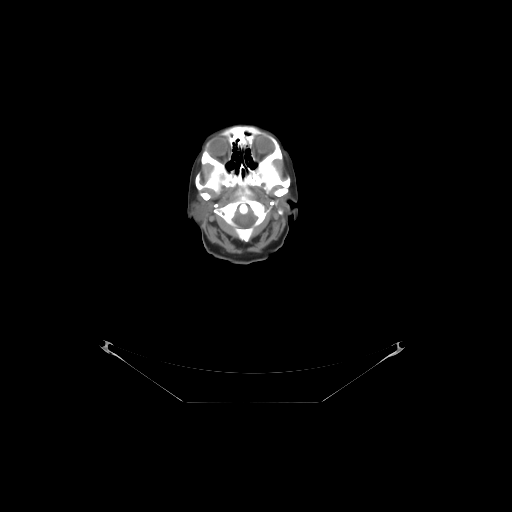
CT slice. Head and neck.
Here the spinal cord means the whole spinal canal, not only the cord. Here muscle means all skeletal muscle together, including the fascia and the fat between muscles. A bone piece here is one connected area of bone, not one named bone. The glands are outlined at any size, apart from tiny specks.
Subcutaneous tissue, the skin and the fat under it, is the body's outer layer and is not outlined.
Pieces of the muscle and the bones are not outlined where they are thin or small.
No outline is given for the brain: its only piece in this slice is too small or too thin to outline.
{"head":[{"outer":[[237,122],[258,124],[271,130],[280,138],[290,153],[298,190],[298,201],[295,204],[298,215],[295,220],[291,216],[288,218],[289,230],[283,245],[265,260],[249,264],[234,264],[208,254],[202,243],[199,228],[186,215],[190,170],[201,142],[214,130]],"holes":[[[234,148],[235,148],[236,150],[239,153],[239,156],[241,158],[239,162],[238,162],[236,160],[234,162],[235,164],[235,166],[233,168],[231,169],[228,169],[227,168],[227,164],[233,159],[233,157],[232,156],[233,155],[233,149]],[[246,150],[249,150],[249,151],[250,152],[249,153],[250,154],[250,159],[254,163],[255,163],[255,167],[254,167],[253,168],[252,168],[249,165],[249,163],[247,161],[247,160],[245,158],[245,154],[246,153],[245,152],[246,151]]]}],"parotid_glands":[[[195,199],[196,199],[198,201],[200,201],[202,204],[204,204],[207,201],[212,201],[213,202],[213,208],[212,209],[212,211],[210,212],[207,215],[206,218],[202,222],[197,222],[196,221],[190,209],[190,206],[191,205],[191,203]],[[289,191],[290,191],[291,192],[291,196],[290,197],[289,197],[286,200],[286,202],[287,203],[287,208],[286,209],[285,209],[283,207],[280,207],[278,205],[278,202],[279,201],[279,199],[283,195],[284,195],[285,194],[286,194]]],"bones":[{"outer":[[238,125],[253,126],[272,136],[282,154],[277,166],[284,177],[290,177],[287,192],[279,197],[272,191],[266,193],[261,187],[250,187],[253,199],[266,206],[271,200],[276,203],[254,228],[248,241],[241,240],[233,227],[214,212],[215,203],[223,206],[238,197],[237,188],[222,186],[219,193],[210,189],[210,198],[205,200],[194,181],[203,169],[201,155],[209,141],[208,152],[219,161],[228,162],[231,148],[221,133]],"holes":[[[258,135],[263,135],[265,137],[266,137],[272,144],[272,146],[273,148],[270,152],[266,154],[262,158],[257,160],[256,155],[254,153],[252,149],[253,148],[253,142],[254,141],[254,139],[256,137],[256,136]],[[250,211],[251,212],[251,213],[255,217],[255,219],[254,220],[253,223],[250,226],[249,226],[248,227],[240,227],[239,226],[238,226],[237,225],[237,224],[234,221],[234,217],[236,215],[237,212],[241,215],[245,215],[246,214],[247,214]],[[234,148],[235,148],[236,150],[239,153],[239,156],[241,158],[239,162],[238,162],[236,160],[234,162],[235,164],[235,166],[233,168],[231,169],[228,169],[227,168],[227,164],[233,159],[233,157],[232,156],[233,155],[233,149]],[[246,150],[249,150],[249,151],[250,152],[249,153],[250,154],[250,159],[254,163],[255,163],[255,167],[254,167],[253,168],[252,168],[249,165],[249,163],[247,161],[247,160],[245,158],[245,154],[246,153],[245,152],[246,151]]]}],"spinal_cord":[[[237,212],[241,215],[245,215],[249,212],[251,212],[251,213],[255,217],[255,219],[254,220],[253,223],[250,226],[249,226],[248,227],[240,227],[239,226],[238,226],[237,225],[237,224],[234,221],[234,217],[236,215]]],"muscle":[[[251,187],[261,188],[266,194],[272,192],[279,198],[277,205],[287,209],[283,230],[279,237],[261,252],[228,253],[209,241],[202,223],[213,209],[216,215],[232,227],[241,241],[248,242],[255,228],[277,203],[271,199],[266,205],[253,198],[254,193]],[[222,187],[224,187],[225,188],[236,188],[234,192],[234,194],[237,197],[234,200],[229,201],[223,205],[219,205],[217,202],[215,202],[214,203],[212,200],[209,200],[211,198],[210,190],[217,194],[219,194],[221,192]],[[282,151],[285,154],[285,165],[287,168],[287,170],[289,172],[289,175],[288,174],[287,174],[284,176],[282,173],[282,171],[279,168],[279,167],[278,166],[278,161],[279,162],[280,161],[281,161],[283,159],[283,154],[282,153]],[[196,189],[198,191],[198,193],[199,194],[199,195],[205,201],[206,201],[204,203],[202,203],[202,202],[200,200],[198,200],[196,198]]]}